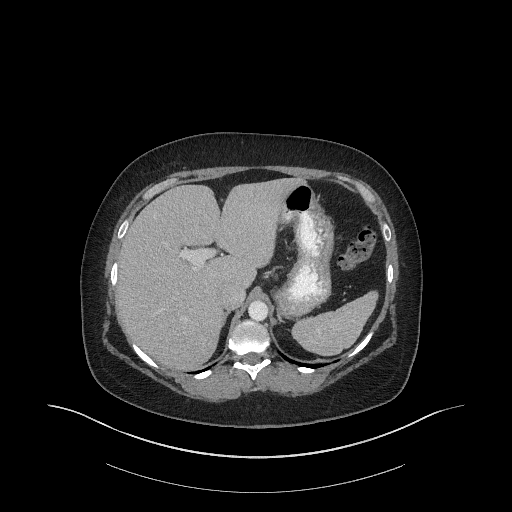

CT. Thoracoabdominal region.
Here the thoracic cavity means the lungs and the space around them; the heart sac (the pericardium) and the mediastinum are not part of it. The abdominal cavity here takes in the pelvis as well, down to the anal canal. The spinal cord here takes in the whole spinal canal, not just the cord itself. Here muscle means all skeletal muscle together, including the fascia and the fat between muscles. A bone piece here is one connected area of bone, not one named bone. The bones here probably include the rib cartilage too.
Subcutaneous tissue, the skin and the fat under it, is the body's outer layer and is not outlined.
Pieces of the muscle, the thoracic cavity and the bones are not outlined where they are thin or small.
Outlined structures:
thoracic cavity: (315, 368) (329, 363) (323, 363) (322, 362) (318, 362) (317, 363) (303, 363) (302, 362) (298, 362) (297, 361) (292, 360) (284, 356) (282, 354) (280, 354) (280, 355) (284, 359) (287, 360) (291, 363) (293, 363) (297, 365) (301, 365) (302, 366) (314, 367)
spinal cord: (249, 364) (254, 364) (255, 363) (256, 363) (257, 362) (259, 362) (261, 360) (261, 356) (259, 354) (258, 354) (257, 353) (254, 353) (253, 352) (250, 352) (249, 353) (248, 353) (247, 354) (245, 354) (242, 357) (242, 361) (243, 362) (245, 362) (246, 363) (248, 363)
muscle: (211, 402) (220, 402) (228, 399) (235, 399) (244, 394) (245, 395) (253, 391) (267, 391) (268, 390) (289, 397) (303, 396) (311, 394) (314, 392) (319, 391) (328, 385) (333, 383) (350, 371) (369, 361) (374, 356) (379, 354) (386, 348) (390, 347) (395, 343) (397, 337) (397, 324) (395, 317) (396, 315) (395, 311) (395, 294) (396, 293) (396, 286) (399, 275) (398, 252) (397, 251) (397, 244) (395, 236) (395, 229) (392, 220) (383, 201) (377, 192) (369, 184) (361, 179) (353, 177) (351, 175) (344, 172) (328, 171) (316, 168) (308, 168) (307, 167) (300, 167) (299, 166) (287, 166) (286, 165) (234, 165) (233, 166) (216, 166) (215, 167) (199, 168) (192, 170) (186, 169) (170, 173) (163, 178) (146, 185) (137, 192) (127, 204) (115, 224) (106, 257) (104, 277) (106, 280) (105, 282) (106, 283) (107, 297) (105, 303) (106, 305) (106, 314) (104, 317) (104, 320) (102, 324) (103, 329) (101, 334) (103, 344) (109, 352) (123, 360) (130, 366) (137, 369) (142, 373) (168, 387) (175, 392) (187, 396) (190, 398) (203, 400) (204, 401) (210, 401), around a hole outlined by (253, 380) (271, 362) (265, 353) (270, 345) (299, 371) (310, 373) (346, 353) (356, 354) (370, 340) (385, 284) (393, 277) (385, 252) (391, 232) (369, 205) (374, 196) (357, 181) (337, 176) (354, 192) (338, 183) (259, 169) (174, 185) (177, 179) (170, 178) (149, 188) (142, 196) (148, 201) (131, 222) (126, 218) (121, 223) (117, 236) (123, 239) (110, 280) (139, 357) (155, 368) (159, 365) (200, 379) (229, 349) (236, 355) (231, 369) (243, 369)
torso: (256, 429) (299, 426) (350, 416) (383, 405) (401, 392) (419, 342) (423, 286) (419, 235) (410, 206) (394, 178) (377, 160) (355, 147) (290, 134) (238, 131) (193, 134) (153, 147) (133, 159) (115, 178) (93, 217) (80, 267) (85, 357) (97, 383) (128, 404) (192, 423)
bones 1: (253, 380) (257, 373) (264, 366) (271, 362) (271, 360) (266, 356) (265, 353) (270, 345) (270, 339) (265, 326) (251, 320) (244, 320) (235, 326) (232, 335) (229, 339) (228, 348) (233, 351) (236, 355) (236, 359) (233, 362) (231, 369) (233, 368) (243, 369) (250, 375), around a hole outlined by (249, 364) (254, 364) (255, 363) (256, 363) (257, 362) (259, 362) (261, 360) (261, 356) (259, 354) (258, 354) (257, 353) (254, 353) (253, 352) (250, 352) (249, 353) (248, 353) (247, 354) (245, 354) (242, 357) (242, 361) (243, 362) (245, 362) (246, 363) (248, 363)
bones 2: (369, 203) (373, 203) (375, 201) (375, 198) (374, 196) (363, 185) (362, 185) (357, 181) (355, 181) (347, 177) (344, 177) (343, 176) (337, 176) (337, 178) (338, 179) (342, 180) (343, 181) (345, 181) (352, 185) (358, 191) (358, 192) (362, 196) (362, 197)
bones 3: (143, 199) (149, 199) (156, 193) (161, 191) (169, 185) (175, 182) (177, 179) (176, 178) (170, 178) (169, 179) (166, 179) (163, 181) (161, 181) (155, 184) (153, 186) (149, 188) (143, 194) (142, 196) (142, 198)
bones 4: (155, 368) (157, 368) (158, 367) (158, 365) (155, 362) (154, 362) (153, 361) (153, 360) (152, 360) (144, 352) (143, 352) (135, 344) (135, 343) (132, 343) (132, 348) (134, 350) (134, 351) (139, 356) (139, 357) (150, 366) (152, 366)
bones 5: (350, 357) (351, 356) (352, 356) (353, 355) (356, 354) (360, 350) (361, 350) (367, 344) (367, 343) (370, 340) (370, 339) (373, 334) (373, 331) (372, 330) (370, 330) (370, 331) (365, 336) (365, 337) (356, 346) (356, 347) (351, 352) (348, 353) (348, 356) (349, 356)
bones 6: (120, 239) (123, 237) (123, 236) (125, 234) (125, 232) (128, 227) (128, 225) (129, 224) (129, 220) (128, 219) (128, 218) (126, 218) (121, 223) (121, 224) (119, 227) (119, 229) (118, 230) (118, 233) (117, 234) (117, 236) (118, 237) (118, 238) (119, 238)
bones 7: (113, 286) (115, 286) (115, 284) (116, 283) (116, 281) (117, 280) (117, 262) (114, 262) (113, 263) (113, 264) (112, 265) (112, 267) (111, 268) (111, 272) (110, 273) (110, 280) (111, 281) (111, 283) (112, 284) (112, 285)
bones 8: (386, 242) (387, 242) (390, 240) (390, 238) (391, 237) (391, 232) (390, 231) (390, 229) (389, 228) (389, 227) (388, 226) (388, 225) (385, 222) (383, 222) (381, 224) (382, 225) (382, 233) (383, 234) (383, 237) (384, 238) (384, 239)
bones 9: (196, 379) (200, 379) (201, 378) (203, 378) (204, 377) (206, 377) (208, 375) (209, 375) (212, 372) (212, 371) (211, 370) (211, 369) (208, 369) (205, 371) (203, 371) (202, 372) (200, 372) (199, 373) (196, 373) (195, 374) (193, 374) (193, 377)
abdominal cavity: (187, 373) (221, 361) (231, 332) (253, 297) (265, 299) (270, 306) (267, 328) (278, 352) (303, 362) (329, 362) (351, 351) (371, 328) (385, 292) (385, 242) (369, 204) (338, 183) (259, 169) (175, 184) (148, 200) (122, 240) (118, 309) (130, 337) (143, 351) (160, 366)
mediastinum: (266, 327) (267, 325) (267, 320) (269, 317) (269, 306) (267, 304) (267, 302) (266, 302) (265, 300) (261, 298) (253, 298) (246, 304) (246, 307) (244, 308) (244, 311) (242, 312) (242, 315) (240, 318) (240, 321) (244, 319) (251, 319) (254, 321) (259, 322) (265, 325)